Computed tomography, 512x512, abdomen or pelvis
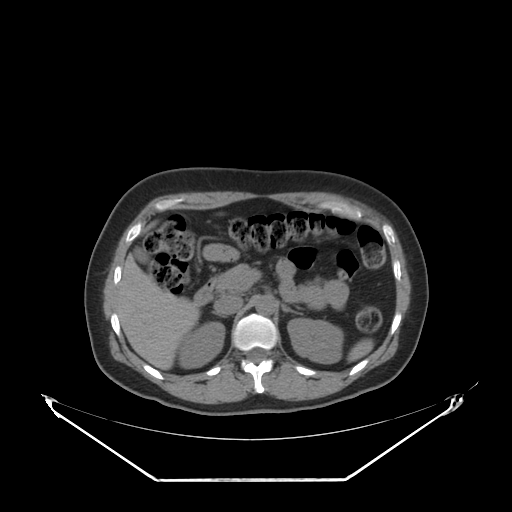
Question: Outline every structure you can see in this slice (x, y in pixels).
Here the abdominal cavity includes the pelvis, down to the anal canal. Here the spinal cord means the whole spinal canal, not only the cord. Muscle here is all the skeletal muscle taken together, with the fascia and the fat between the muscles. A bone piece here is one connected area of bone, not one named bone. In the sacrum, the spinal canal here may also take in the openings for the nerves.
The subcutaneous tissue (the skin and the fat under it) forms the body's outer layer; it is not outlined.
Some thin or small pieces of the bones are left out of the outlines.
Answer: {"abdominal_cavity":[[[252,198],[331,212],[368,222],[382,232],[395,280],[394,313],[387,334],[374,351],[351,367],[316,370],[288,355],[269,317],[251,312],[237,321],[230,347],[215,365],[182,375],[161,372],[128,347],[121,330],[118,284],[130,245],[158,212],[213,209]]],"spinal_cord":[[[255,347],[259,347],[260,348],[262,348],[263,349],[266,350],[268,352],[268,356],[267,357],[267,358],[266,358],[265,359],[263,359],[257,364],[254,363],[252,361],[250,361],[249,360],[248,360],[245,356],[245,353],[247,351],[248,351]]],"torso":[[[190,166],[332,171],[373,185],[400,206],[414,229],[424,255],[429,299],[415,351],[394,379],[376,389],[323,407],[283,413],[204,415],[166,406],[136,395],[113,382],[100,370],[92,353],[83,302],[85,275],[94,244],[112,208],[132,185],[162,170]]],"muscle":[[[197,191],[330,192],[360,201],[383,215],[397,234],[411,285],[409,306],[393,356],[323,397],[289,401],[263,393],[262,376],[273,369],[270,352],[279,337],[287,355],[300,364],[293,366],[298,373],[313,377],[317,370],[339,372],[350,368],[347,374],[352,376],[367,365],[368,357],[388,333],[392,335],[396,331],[402,320],[402,314],[395,311],[396,281],[401,280],[402,271],[400,261],[392,260],[389,248],[396,241],[394,230],[387,222],[381,225],[381,230],[360,220],[363,211],[340,200],[326,200],[316,206],[330,211],[289,205],[268,197],[252,197],[213,208],[174,208],[185,200],[181,196],[156,201],[153,207],[158,211],[143,228],[139,220],[127,230],[124,241],[129,247],[123,264],[117,264],[112,275],[117,294],[116,312],[110,315],[110,326],[142,361],[142,368],[159,380],[165,378],[162,373],[218,374],[222,366],[216,364],[232,343],[242,354],[239,366],[251,375],[256,394],[234,402],[197,403],[170,394],[114,359],[109,346],[109,323],[103,312],[103,288],[118,242],[132,220],[155,197]]],"bones":[{"outer":[[251,313],[256,313],[269,318],[278,331],[277,341],[269,352],[269,356],[273,360],[272,369],[263,373],[261,376],[261,383],[264,388],[262,393],[255,392],[252,375],[249,372],[245,372],[241,368],[240,363],[243,354],[232,341],[232,331],[238,321]],"hole":[[255,347],[259,347],[260,348],[262,348],[263,349],[266,350],[268,352],[268,356],[267,357],[267,358],[266,358],[265,359],[263,359],[257,364],[254,363],[252,361],[250,361],[249,360],[248,360],[245,356],[245,353],[247,351],[248,351]]},[[326,201],[340,201],[341,202],[347,203],[354,207],[357,207],[359,208],[362,211],[363,215],[359,220],[357,220],[356,219],[350,218],[344,215],[341,215],[340,214],[333,213],[329,209],[320,208],[317,206],[319,204],[323,202],[325,202]],[[181,197],[182,197],[184,199],[184,200],[182,202],[178,203],[175,206],[175,207],[173,208],[171,208],[170,209],[166,209],[163,211],[159,211],[154,207],[154,204],[158,201],[160,201],[161,200],[164,200],[165,199],[173,199],[174,198],[180,198]],[[139,221],[140,221],[142,223],[142,228],[141,229],[141,231],[139,233],[139,234],[131,242],[130,244],[128,244],[126,243],[125,241],[125,239],[126,238],[126,235],[127,234],[127,232],[128,230],[134,224],[135,224]],[[384,223],[387,223],[388,224],[389,224],[391,226],[391,227],[393,230],[393,233],[394,234],[394,238],[395,239],[395,241],[394,242],[394,243],[391,245],[389,245],[386,241],[386,239],[385,238],[385,237],[384,236],[384,234],[382,231],[382,225]],[[114,312],[115,312],[117,314],[117,316],[119,320],[119,325],[120,326],[120,330],[121,331],[121,334],[122,335],[120,337],[119,337],[115,333],[114,330],[111,326],[111,323],[110,322],[110,318],[111,317],[111,315],[112,313]],[[397,311],[401,314],[401,320],[399,323],[399,325],[398,326],[398,327],[395,330],[395,331],[392,334],[390,334],[389,333],[389,330],[390,329],[390,326],[391,325],[391,323],[392,322],[392,319],[394,316],[394,314],[395,313],[395,312],[396,312]],[[143,362],[148,364],[153,368],[158,370],[161,373],[161,374],[164,377],[164,378],[163,379],[159,379],[158,378],[157,378],[156,377],[151,375],[148,372],[147,372],[143,368],[143,366],[142,365],[143,364]],[[295,365],[301,365],[302,366],[304,366],[305,367],[307,367],[308,368],[310,368],[311,369],[313,369],[316,371],[316,374],[313,376],[307,376],[304,374],[302,374],[301,373],[300,373],[299,372],[298,372],[295,369],[295,368],[294,367],[294,366]],[[365,358],[368,358],[368,362],[366,364],[366,365],[362,369],[361,369],[359,371],[356,372],[354,374],[353,374],[352,375],[349,375],[348,374],[348,373],[349,372],[349,371],[351,369],[351,368],[358,362],[361,361],[363,359],[364,359]],[[395,259],[397,259],[399,261],[399,264],[400,265],[400,270],[401,271],[401,276],[400,277],[400,280],[399,280],[398,281],[397,280],[396,280],[395,279],[395,278],[394,277],[394,274],[393,273],[393,268],[392,267],[392,261],[393,260],[394,260]],[[217,365],[218,365],[219,366],[221,366],[221,369],[219,371],[219,372],[218,373],[217,373],[216,374],[215,374],[214,375],[207,375],[205,373],[205,372],[207,370],[208,370],[209,369],[210,369],[212,367],[213,367],[214,366],[216,366]]]}